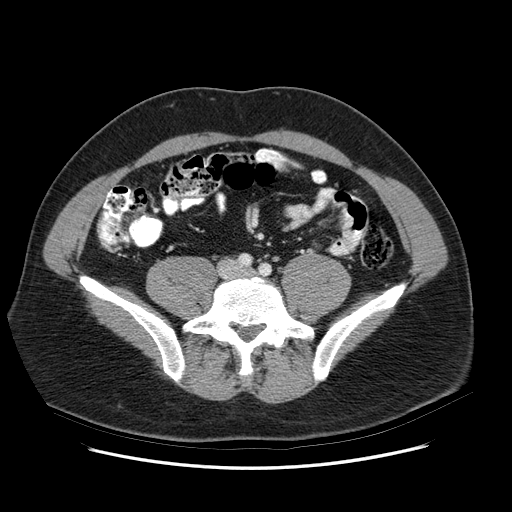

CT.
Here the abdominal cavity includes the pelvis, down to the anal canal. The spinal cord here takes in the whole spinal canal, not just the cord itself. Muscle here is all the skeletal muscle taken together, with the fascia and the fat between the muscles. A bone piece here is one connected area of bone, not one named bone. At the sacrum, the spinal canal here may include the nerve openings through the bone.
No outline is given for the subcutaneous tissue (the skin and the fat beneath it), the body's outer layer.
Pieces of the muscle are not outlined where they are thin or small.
The torso is outlined by (196, 439) (299, 438) (372, 427) (459, 387) (471, 375) (475, 357) (471, 284) (453, 218) (423, 171) (391, 136) (361, 112) (326, 94) (285, 86) (244, 92) (191, 87) (148, 98) (116, 116) (76, 151) (35, 215) (8, 313) (23, 361) (46, 401) (56, 409) (112, 428). The bones appear in 3 outlined pieces: piece 1: (244, 377) (252, 373) (251, 356) (261, 344) (280, 348) (289, 337) (311, 342) (316, 337) (313, 325) (298, 321) (290, 316) (278, 289) (273, 284) (255, 276) (223, 282) (216, 287) (208, 311) (183, 322) (180, 326) (182, 334) (207, 334) (234, 346) (240, 354) (238, 374), around a hole outlined by (246, 342) (249, 342) (250, 340) (254, 336) (255, 336) (266, 325) (266, 324) (265, 323) (260, 323) (259, 324) (250, 324) (246, 327) (245, 326) (240, 325) (238, 323) (232, 322) (230, 324) (230, 325) (233, 328) (233, 329) (235, 330) (240, 335) (241, 338); piece 2: (176, 382) (179, 382) (185, 368) (181, 345) (176, 330) (174, 328) (171, 328) (166, 322) (147, 309) (107, 289) (90, 275) (80, 272) (78, 275) (78, 284) (84, 290) (103, 300) (116, 304) (130, 314) (150, 335) (157, 345) (161, 354) (163, 361) (163, 373) (166, 373); piece 3: (316, 382) (324, 381) (327, 378) (331, 363) (338, 349) (347, 335) (370, 314) (378, 310) (383, 310) (393, 307) (404, 293) (404, 291) (409, 283) (408, 281) (403, 279) (397, 283) (393, 284) (385, 291) (364, 303) (327, 328) (315, 345) (315, 353) (312, 361) (312, 371). The muscle appears in 2 outlined pieces: piece 1: (275, 404) (321, 382) (311, 371) (320, 336) (386, 289) (364, 295) (320, 325) (319, 317) (345, 299) (350, 276) (321, 254) (292, 259) (281, 275) (288, 312) (313, 324) (317, 337) (313, 343) (289, 338) (280, 349) (261, 345) (252, 356) (253, 373) (240, 377) (234, 347) (179, 332) (183, 321) (211, 304) (220, 278) (209, 259) (171, 256) (149, 269) (146, 292) (174, 315) (171, 322) (128, 288) (80, 268) (81, 251) (112, 186) (148, 162) (228, 140) (272, 144) (344, 166) (377, 192) (409, 254) (401, 279) (410, 283) (397, 304) (448, 260) (447, 243) (429, 210) (398, 180) (285, 129) (252, 137) (217, 130) (179, 134) (86, 185) (61, 210) (43, 245) (47, 266) (76, 283) (99, 322) (176, 385) (205, 399) (247, 391); inner edge: (176, 382) (179, 382) (185, 368) (181, 345) (176, 330) (174, 328) (171, 328) (166, 322) (147, 309) (107, 289) (90, 275) (80, 272) (78, 275) (78, 284) (84, 290) (103, 300) (116, 304) (130, 314) (150, 335) (157, 345) (161, 354) (163, 361) (163, 373) (166, 373); piece 2: (329, 375) (330, 372) (337, 364) (337, 363) (341, 359) (342, 359) (348, 352) (351, 351) (361, 341) (373, 332) (393, 311) (395, 306) (391, 309) (388, 309) (383, 311) (378, 311) (370, 315) (348, 335) (345, 341) (339, 349) (332, 363) (332, 365) (329, 372). The spinal cord is outlined by (246, 342) (249, 342) (250, 340) (254, 336) (255, 336) (266, 325) (266, 324) (265, 323) (260, 323) (259, 324) (250, 324) (246, 327) (245, 326) (240, 325) (238, 323) (232, 322) (230, 324) (230, 325) (233, 328) (233, 329) (235, 330) (240, 335) (241, 338). The abdominal cavity is outlined by (320, 324) (400, 280) (409, 257) (365, 180) (296, 151) (228, 141) (141, 166) (113, 186) (80, 257) (81, 268) (128, 287) (171, 321) (144, 288) (159, 259) (206, 256) (221, 278) (216, 285) (255, 275) (279, 289) (287, 309) (283, 265) (321, 253) (340, 262) (352, 284).